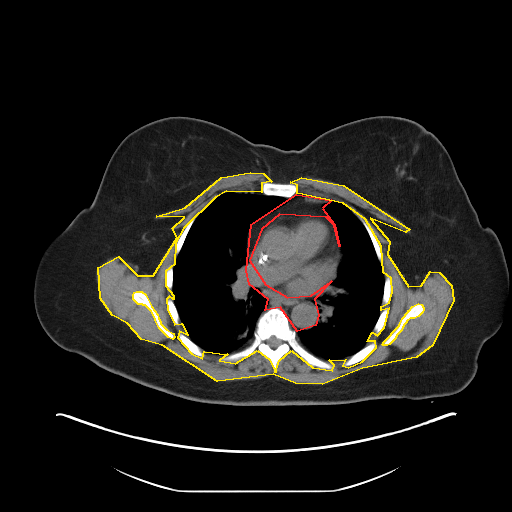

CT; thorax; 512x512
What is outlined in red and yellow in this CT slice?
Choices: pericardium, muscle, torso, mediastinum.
red: mediastinum; yellow: muscle.
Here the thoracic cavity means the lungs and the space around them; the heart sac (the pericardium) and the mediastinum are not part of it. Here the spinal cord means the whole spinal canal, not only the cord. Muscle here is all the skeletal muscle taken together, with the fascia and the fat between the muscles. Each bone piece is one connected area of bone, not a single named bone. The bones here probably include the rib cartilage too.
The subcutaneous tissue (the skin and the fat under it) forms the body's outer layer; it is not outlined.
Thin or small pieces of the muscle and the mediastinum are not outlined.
{"mediastinum":[[[296,194],[331,200],[322,208],[334,224],[339,246],[334,225],[326,217],[279,214],[261,229],[249,260],[265,284],[287,297],[311,295],[331,281],[314,299],[318,315],[315,325],[297,331],[280,307],[265,310],[268,299],[249,284],[246,270],[251,224]]],"muscle":[{"outer":[[250,172],[263,173],[271,181],[261,183],[261,192],[226,191],[215,197],[183,228],[175,242],[174,264],[165,271],[165,285],[173,295],[173,299],[169,296],[166,299],[167,309],[174,324],[181,323],[185,330],[187,335],[179,331],[177,337],[191,353],[202,358],[204,351],[227,354],[219,360],[235,363],[257,350],[269,359],[275,372],[279,360],[291,350],[312,367],[332,370],[334,365],[329,360],[345,359],[342,365],[348,367],[362,361],[376,347],[375,341],[367,341],[372,332],[377,335],[384,327],[389,308],[381,310],[381,306],[389,302],[392,292],[391,278],[383,272],[381,246],[365,219],[343,203],[297,193],[297,185],[290,182],[301,177],[343,185],[409,229],[405,232],[370,218],[389,241],[387,254],[408,286],[421,285],[430,271],[439,272],[451,285],[453,300],[432,345],[416,357],[362,368],[322,384],[295,383],[273,374],[217,381],[162,345],[141,339],[127,323],[112,315],[100,298],[98,267],[118,256],[137,275],[153,275],[177,237],[172,228],[184,217],[156,216],[185,207],[221,177]],"holes":[[[418,303],[421,304],[423,307],[423,310],[422,312],[418,316],[414,318],[410,318],[407,320],[402,327],[401,330],[397,334],[394,339],[389,344],[387,345],[383,345],[382,344],[383,342],[399,325],[402,318],[408,311],[408,310],[409,310],[412,306]],[[136,291],[141,291],[145,294],[151,306],[157,314],[158,318],[160,321],[160,323],[166,329],[173,333],[174,337],[172,339],[168,337],[159,328],[155,320],[155,318],[151,311],[145,305],[143,305],[142,304],[138,304],[133,299],[133,294],[134,292]]]}],"torso":[[[376,115],[414,120],[441,141],[480,221],[504,252],[509,285],[501,325],[483,344],[476,374],[461,391],[328,405],[204,403],[103,369],[58,346],[42,328],[33,301],[39,260],[92,202],[109,158],[131,131],[189,116],[254,143],[297,150],[331,128]]],"thoracic_cavity":[[[226,192],[257,192],[286,199],[283,204],[255,219],[246,233],[247,282],[250,286],[258,288],[259,293],[267,299],[264,310],[256,320],[253,338],[249,344],[239,350],[218,354],[204,350],[188,336],[180,320],[172,288],[176,258],[192,225],[215,198]],[[330,201],[343,204],[361,222],[381,264],[384,282],[380,312],[366,344],[348,357],[325,360],[310,352],[299,341],[297,332],[299,330],[309,330],[316,325],[319,315],[315,299],[327,290],[337,275],[341,259],[339,236],[333,220],[323,208],[323,205]]],"bones":[{"outer":[[270,307],[283,310],[288,318],[290,327],[296,332],[298,341],[310,353],[331,363],[333,368],[322,369],[312,366],[292,349],[278,360],[275,371],[272,368],[270,359],[257,349],[249,356],[235,362],[221,361],[221,357],[239,351],[251,343],[258,318]],"hole":[[271,336],[274,336],[276,338],[277,338],[278,339],[279,339],[281,341],[281,343],[279,345],[278,345],[275,348],[272,348],[266,342],[267,341],[267,340]]},[[264,181],[267,181],[268,182],[275,182],[276,183],[292,183],[296,185],[297,187],[297,190],[296,191],[296,193],[294,195],[293,195],[291,197],[288,197],[287,198],[283,196],[278,196],[277,195],[266,195],[264,194],[261,190],[261,185]],[[418,303],[421,304],[423,307],[423,310],[422,312],[418,316],[414,318],[410,318],[407,320],[402,327],[401,330],[397,334],[394,339],[389,344],[387,345],[383,345],[382,344],[383,342],[399,325],[402,318],[408,311],[408,310],[409,310],[412,306]],[[136,291],[141,291],[145,294],[151,306],[157,314],[158,318],[160,321],[160,323],[166,329],[173,333],[174,337],[172,339],[168,337],[159,328],[155,320],[155,318],[151,311],[145,305],[143,305],[142,304],[138,304],[133,299],[133,294],[134,292]],[[371,342],[375,342],[376,343],[376,345],[372,350],[372,351],[362,360],[359,361],[357,363],[355,363],[354,364],[352,364],[348,366],[344,366],[343,365],[343,363],[344,361],[347,358],[348,358],[353,354],[356,353],[362,348],[363,348],[367,344]],[[357,214],[360,215],[364,219],[364,220],[369,225],[370,228],[372,230],[380,246],[380,248],[382,252],[382,256],[383,257],[383,262],[382,263],[379,261],[378,257],[376,254],[374,246],[369,236],[369,234],[363,225],[362,222],[357,216]],[[179,332],[181,332],[183,334],[186,335],[195,344],[196,344],[200,348],[201,348],[203,350],[203,351],[204,352],[204,356],[203,357],[202,357],[201,356],[196,355],[195,354],[194,354],[192,352],[191,352],[182,343],[182,342],[178,337],[178,333]],[[192,218],[195,218],[195,219],[193,223],[191,225],[185,237],[185,239],[181,246],[181,248],[178,254],[176,255],[175,254],[175,248],[176,247],[176,242],[178,238],[182,233],[182,231],[187,225],[189,221]],[[385,307],[387,307],[388,308],[388,314],[387,315],[387,318],[385,321],[385,323],[384,324],[383,327],[380,330],[380,331],[377,334],[376,334],[375,333],[374,333],[372,331],[373,330],[373,328],[379,317],[379,315],[380,314],[381,311]],[[387,276],[389,276],[389,277],[390,278],[390,280],[391,281],[391,292],[390,293],[390,296],[389,297],[389,300],[388,301],[388,302],[385,305],[382,305],[382,298],[383,297],[383,292],[384,291],[384,283],[385,282],[385,278]],[[169,297],[173,300],[173,302],[175,305],[175,307],[177,310],[177,312],[179,316],[179,320],[180,322],[178,325],[176,325],[175,324],[174,321],[171,317],[171,315],[168,309],[168,306],[167,305],[167,299]],[[169,266],[172,266],[173,267],[173,279],[172,280],[172,287],[171,288],[171,289],[170,290],[168,290],[168,289],[167,288],[167,286],[166,285],[166,281],[165,280],[165,277],[166,276],[166,271],[167,270],[167,268]]],"spinal_cord":[[[271,336],[274,336],[276,338],[277,338],[278,339],[279,339],[281,341],[281,343],[279,345],[278,345],[275,348],[272,348],[266,342],[267,341],[267,340]]],"pericardium":[[[304,214],[322,216],[331,222],[335,231],[336,240],[339,247],[340,259],[337,265],[335,277],[325,283],[316,291],[304,296],[287,296],[274,290],[264,282],[254,268],[250,260],[250,254],[253,246],[258,240],[262,229],[268,223],[279,215],[299,216]]]}